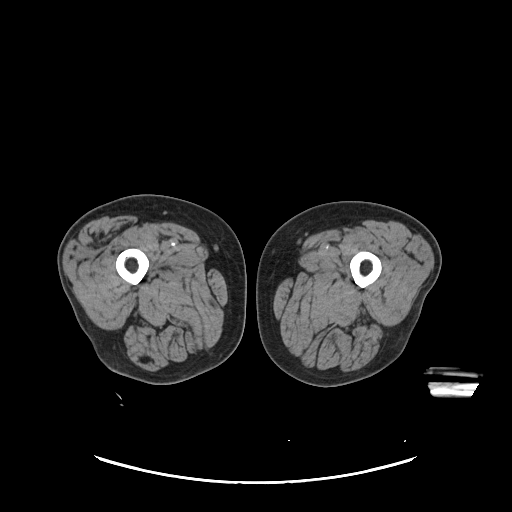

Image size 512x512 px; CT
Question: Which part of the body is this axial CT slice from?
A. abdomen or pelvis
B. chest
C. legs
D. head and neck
Answer: C. legs
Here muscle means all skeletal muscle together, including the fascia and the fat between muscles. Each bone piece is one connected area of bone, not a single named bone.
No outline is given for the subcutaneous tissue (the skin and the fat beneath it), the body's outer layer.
Outlines:
left leg: 341 200; 380 203; 397 208; 415 217; 434 235; 441 251; 442 261; 439 275; 425 297; 419 318; 399 357; 381 371; 365 379; 340 386; 320 387; 304 383; 288 375; 267 355; 257 326; 256 274; 262 250; 270 236; 280 225; 307 208
bones 1: 127 248; 138 248; 140 249; 145 253; 149 260; 149 265; 148 266; 148 269; 145 275; 137 284; 135 284; 134 285; 130 284; 128 282; 124 280; 118 274; 116 270; 116 268; 115 267; 115 261; 116 260; 116 258; 118 254; 121 251
bones 2: 360 250; 369 251; 378 256; 381 261; 381 266; 382 267; 381 269; 381 272; 376 280; 364 288; 361 288; 354 282; 353 278; 351 275; 351 272; 350 271; 350 268; 349 267; 349 263; 350 262; 351 258; 354 254; 355 254
right leg: 134 194; 167 195; 210 209; 223 218; 232 228; 244 255; 247 278; 246 313; 243 334; 239 344; 233 353; 218 366; 177 383; 165 385; 145 383; 108 369; 98 359; 89 339; 79 326; 58 274; 57 251; 69 227; 90 209; 113 199
muscle 1: 121 214; 171 219; 194 230; 211 251; 223 273; 228 294; 228 316; 224 335; 212 351; 190 363; 180 371; 170 373; 155 371; 153 372; 144 370; 131 363; 88 318; 67 282; 62 266; 62 255; 68 239; 79 227; 91 220; 100 216 with a hole at 127 248; 138 248; 140 249; 145 253; 149 260; 149 265; 148 266; 148 269; 145 275; 137 284; 135 284; 134 285; 130 284; 128 282; 124 280; 118 274; 116 270; 116 268; 115 267; 115 261; 116 260; 116 258; 118 254; 121 251
muscle 2: 362 218; 382 218; 394 220; 418 231; 426 239; 432 249; 434 256; 433 269; 427 277; 425 285; 405 320; 370 364; 337 377; 307 371; 305 368; 296 363; 283 350; 273 322; 273 295; 283 264; 296 242; 306 234; 336 223; 353 221; inner edge: 360 250; 369 251; 378 256; 381 261; 381 266; 382 267; 381 269; 381 272; 376 280; 364 288; 361 288; 354 282; 353 278; 351 275; 351 272; 350 271; 350 268; 349 267; 349 263; 350 262; 351 258; 354 254; 355 254